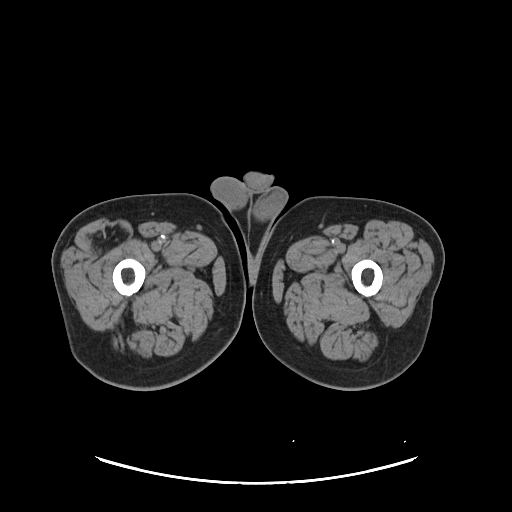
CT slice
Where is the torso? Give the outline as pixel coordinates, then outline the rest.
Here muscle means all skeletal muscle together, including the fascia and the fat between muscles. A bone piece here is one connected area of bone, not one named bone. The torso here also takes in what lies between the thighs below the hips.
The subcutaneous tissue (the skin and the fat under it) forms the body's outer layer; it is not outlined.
The torso is outlined by 249 169; 259 169; 273 174; 273 184; 282 186; 288 193; 287 202; 282 210; 284 212; 270 228; 251 290; 247 288; 246 283; 246 252; 240 231; 227 209; 221 202; 213 197; 210 191; 210 184; 217 177; 231 176; 241 180; 243 174. The right leg is outlined by 168 192; 186 192; 201 196; 215 205; 223 214; 236 238; 245 273; 247 290; 243 317; 239 329; 230 344; 214 361; 197 374; 163 389; 152 391; 128 390; 96 378; 73 357; 52 275; 52 250; 63 227; 71 218; 85 208; 120 196. The muscle appears in 2 outlined pieces: piece 1: 98 216; 128 216; 172 221; 202 230; 213 240; 221 250; 226 268; 226 287; 224 298; 210 328; 191 349; 173 362; 152 368; 135 366; 120 356; 104 339; 90 329; 82 321; 66 292; 60 269; 60 257; 62 249; 69 236; 80 225 with a hole at 129 257; 130 258; 134 258; 136 259; 143 265; 143 266; 145 268; 145 277; 144 278; 144 281; 141 287; 135 293; 129 296; 126 296; 118 292; 115 288; 112 281; 112 272; 115 265; 119 261; 120 261; 122 259; 128 258; piece 2: 360 217; 392 218; 407 223; 430 245; 434 256; 434 262; 432 277; 420 301; 402 329; 384 349; 376 362; 366 369; 341 370; 307 353; 301 347; 298 347; 298 344; 287 333; 272 296; 271 277; 273 267; 283 251; 305 234; 331 223, around a hole outlined by 367 258; 375 261; 380 266; 382 270; 382 273; 383 274; 383 280; 382 281; 381 287; 374 295; 372 295; 368 297; 366 297; 359 293; 355 289; 353 285; 353 283; 351 280; 351 269; 353 265; 356 262; 362 259; 366 259. The left leg is outlined by 316 195; 373 198; 408 208; 425 218; 434 227; 444 248; 445 263; 443 273; 434 295; 431 322; 421 353; 401 375; 373 388; 351 391; 334 389; 301 377; 270 353; 263 344; 255 326; 252 314; 251 293; 271 228; 293 204; 306 197. The bones appear in 2 outlined pieces: piece 1: 129 257; 130 258; 134 258; 136 259; 143 265; 143 266; 145 268; 145 277; 144 278; 144 281; 141 287; 135 293; 129 296; 126 296; 118 292; 115 288; 112 281; 112 272; 115 265; 119 261; 120 261; 122 259; 128 258; piece 2: 367 258; 375 261; 380 266; 382 270; 382 273; 383 274; 383 280; 382 281; 381 287; 374 295; 372 295; 368 297; 366 297; 359 293; 355 289; 353 285; 353 283; 351 280; 351 269; 353 265; 356 262; 362 259; 366 259.